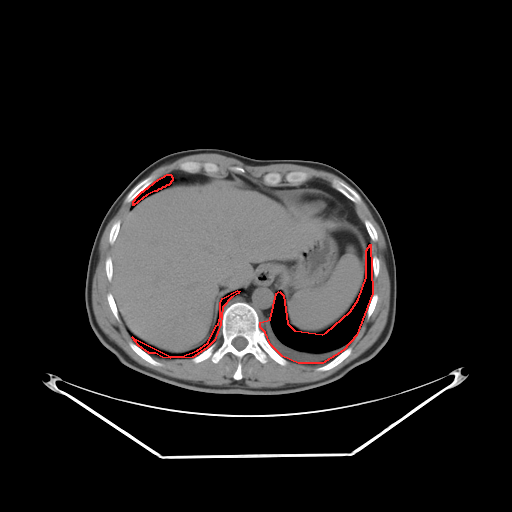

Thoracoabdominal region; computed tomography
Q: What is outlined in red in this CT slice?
A: red: thoracic cavity.
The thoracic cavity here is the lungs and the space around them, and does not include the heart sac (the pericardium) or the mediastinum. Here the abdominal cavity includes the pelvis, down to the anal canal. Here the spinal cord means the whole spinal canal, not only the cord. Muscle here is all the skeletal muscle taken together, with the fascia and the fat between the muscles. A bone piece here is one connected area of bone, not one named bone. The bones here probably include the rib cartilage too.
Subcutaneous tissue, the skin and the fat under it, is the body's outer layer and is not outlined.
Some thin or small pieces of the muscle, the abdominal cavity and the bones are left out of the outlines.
The thoracic cavity appears in 3 outlined pieces: piece 1: (370, 244) (372, 293) (356, 335) (343, 350) (322, 363) (298, 363) (282, 356) (270, 344) (265, 332) (260, 327) (260, 322) (270, 319) (276, 293) (279, 291) (283, 295) (287, 323) (294, 330) (322, 334) (326, 332) (350, 311) (358, 299) (366, 277) (366, 250); piece 2: (237, 290) (239, 291) (238, 293) (231, 297) (222, 307) (220, 324) (214, 340) (206, 348) (192, 357) (170, 358) (162, 357) (155, 353) (149, 353) (138, 345) (132, 337) (170, 356) (181, 356) (197, 350) (208, 342) (216, 325) (218, 324) (220, 316) (220, 303) (222, 298); piece 3: (167, 174) (170, 174) (172, 177) (172, 180) (168, 185) (166, 185) (164, 187) (162, 187) (160, 189) (158, 189) (156, 191) (154, 191) (146, 195) (133, 205) (133, 201) (135, 199) (135, 198) (142, 191) (143, 191) (146, 188) (147, 188) (155, 181). The mediastinum appears in 3 outlined pieces: piece 1: (253, 287) (277, 289) (278, 290) (275, 293) (272, 311) (268, 320) (266, 319) (264, 321) (260, 321) (258, 312) (253, 306) (245, 301) (234, 301) (230, 303) (223, 309) (223, 307) (225, 304) (231, 298) (234, 297) (239, 293) (240, 291) (239, 290) (241, 289) (252, 288); piece 2: (308, 181) (323, 182) (342, 194) (353, 203) (353, 207) (359, 219) (364, 225) (369, 237) (369, 244) (367, 243) (366, 238) (361, 230) (354, 223) (347, 219) (347, 208) (328, 192) (322, 189) (312, 187) (299, 187) (294, 189) (282, 189) (279, 187) (275, 187) (297, 186); piece 3: (176, 172) (184, 172) (185, 173) (188, 173) (189, 174) (202, 174) (203, 175) (207, 175) (208, 176) (204, 180) (200, 180) (199, 181) (181, 181) (180, 182) (178, 182) (177, 183) (175, 183) (174, 184) (169, 185) (173, 180) (173, 177) (171, 174) (173, 173) (175, 173). The bones appear in 13 outlined pieces: piece 1: (234, 302) (245, 302) (254, 308) (260, 329) (269, 344) (287, 360) (285, 365) (269, 356) (262, 363) (253, 354) (247, 353) (240, 360) (242, 378) (235, 380) (233, 374) (238, 359) (230, 352) (216, 363) (210, 357) (196, 363) (192, 361) (215, 340) (221, 340) (222, 311), around a hole outlined by (238, 336) (241, 336) (242, 337) (243, 337) (245, 339) (246, 339) (246, 340) (247, 341) (247, 344) (245, 346) (245, 347) (244, 347) (242, 349) (241, 349) (240, 350) (239, 350) (238, 349) (237, 349) (232, 344) (232, 341) (233, 340) (233, 339) (234, 338) (235, 338); piece 2: (291, 171) (304, 171) (309, 173) (310, 175) (309, 179) (303, 183) (301, 183) (297, 185) (289, 185) (287, 182) (283, 180) (279, 185) (277, 186) (271, 186) (270, 185) (266, 185) (263, 181) (263, 176) (267, 173) (269, 173) (270, 172) (276, 172) (284, 176) (287, 173); piece 3: (185, 161) (196, 161) (200, 163) (203, 163) (204, 162) (211, 162) (212, 163) (216, 164) (218, 166) (219, 170) (218, 172) (214, 173) (212, 175) (208, 175) (203, 170) (201, 170) (199, 173) (189, 173) (188, 172) (181, 171) (179, 169) (178, 166) (180, 163) (184, 162); piece 4: (333, 179) (337, 179) (338, 180) (340, 180) (344, 182) (354, 190) (355, 190) (361, 197) (362, 199) (362, 201) (360, 203) (355, 203) (351, 200) (350, 200) (347, 197) (346, 197) (342, 193) (341, 193) (339, 191) (338, 191) (336, 189) (332, 187) (331, 186) (331, 181); piece 5: (150, 175) (156, 175) (157, 176) (157, 179) (152, 183) (151, 183) (143, 190) (142, 190) (130, 203) (129, 202) (126, 202) (125, 201) (125, 197) (126, 195) (130, 191) (130, 190) (131, 190) (132, 188) (133, 188) (134, 186) (135, 186) (140, 181) (141, 181) (143, 179); piece 6: (348, 347) (351, 347) (352, 348) (351, 353) (340, 363) (339, 363) (334, 367) (328, 370) (325, 370) (324, 371) (318, 371) (316, 370) (316, 368) (324, 365) (326, 363) (327, 363) (329, 361) (333, 359) (337, 355) (338, 355) (342, 351) (343, 351) (346, 348); piece 7: (130, 342) (133, 342) (135, 343) (143, 350) (147, 352) (155, 360) (162, 363) (163, 365) (162, 366) (157, 366) (156, 365) (153, 365) (149, 362) (143, 359) (139, 355) (138, 355) (130, 347) (129, 345) (129, 343); piece 8: (116, 220) (120, 220) (120, 225) (119, 226) (119, 231) (117, 234) (117, 236) (115, 239) (115, 241) (113, 243) (113, 244) (111, 244) (109, 242) (109, 233) (110, 232) (110, 230) (111, 229) (111, 227) (112, 226) (112, 225) (114, 223) (114, 222); piece 9: (366, 219) (369, 220) (371, 222) (371, 223) (373, 225) (373, 226) (376, 230) (376, 232) (377, 233) (377, 240) (376, 241) (373, 241) (372, 240) (371, 240) (371, 239) (367, 232) (367, 230) (366, 229) (366, 228) (365, 227) (365, 225) (364, 224) (364, 221); piece 10: (110, 292) (113, 296) (113, 298) (114, 299) (114, 301) (115, 302) (115, 304) (117, 308) (117, 311) (118, 312) (118, 314) (120, 318) (120, 321) (118, 321) (116, 319) (108, 303) (108, 301) (107, 300) (107, 294); piece 11: (372, 294) (376, 294) (377, 295) (377, 301) (376, 302) (376, 304) (375, 305) (375, 307) (374, 308) (374, 310) (373, 312) (368, 318) (366, 318) (365, 316) (366, 315) (366, 312) (367, 311) (367, 309) (368, 308) (369, 303) (372, 297); piece 12: (109, 256) (110, 256) (111, 257) (111, 262) (112, 263) (112, 277) (111, 278) (111, 281) (109, 281) (108, 280) (108, 278) (107, 277) (107, 275) (106, 274) (106, 271) (105, 270) (105, 261) (106, 260) (106, 258) (107, 257) (108, 257); piece 13: (373, 256) (376, 256) (378, 258) (378, 259) (379, 260) (379, 272) (378, 273) (378, 275) (375, 278) (374, 277) (373, 277) (373, 261) (372, 260) (372, 257). The abdominal cavity is outlined by (228, 172) (285, 190) (323, 219) (344, 217) (354, 224) (367, 244) (363, 286) (349, 311) (322, 333) (294, 329) (277, 288) (231, 291) (221, 298) (217, 324) (207, 342) (170, 355) (132, 336) (124, 325) (112, 293) (112, 248) (132, 206) (146, 196) (166, 186). The pericardium is outlined by (299, 188) (312, 188) (313, 189) (316, 189) (317, 190) (322, 190) (324, 192) (328, 193) (331, 196) (335, 198) (336, 200) (337, 200) (346, 208) (346, 217) (343, 216) (339, 218) (323, 218) (319, 216) (309, 208) (303, 206) (286, 190) (294, 190) (295, 189) (298, 189). The torso is outlined by (195, 148) (225, 149) (256, 159) (318, 161) (340, 170) (362, 189) (386, 226) (396, 266) (394, 326) (388, 341) (374, 357) (337, 380) (307, 390) (275, 395) (221, 394) (186, 389) (138, 372) (99, 341) (88, 321) (84, 290) (100, 223) (114, 200) (144, 168) (165, 155). The spinal cord is outlined by (238, 336) (241, 336) (242, 337) (243, 337) (245, 339) (246, 339) (246, 340) (247, 341) (247, 344) (245, 346) (245, 347) (244, 347) (242, 349) (241, 349) (240, 350) (239, 350) (238, 349) (237, 349) (232, 344) (232, 341) (233, 340) (233, 339) (234, 338) (235, 338). The muscle appears in 3 outlined pieces: piece 1: (363, 200) (382, 232) (388, 260) (389, 310) (379, 337) (360, 355) (324, 378) (278, 387) (249, 387) (241, 380) (241, 360) (247, 354) (262, 364) (268, 357) (281, 366) (288, 360) (304, 365) (325, 363) (315, 368) (324, 372) (352, 353) (353, 348) (346, 346) (359, 332) (365, 317) (372, 315) (378, 301) (372, 290) (373, 278) (380, 272) (380, 260) (372, 255) (370, 243) (370, 239) (378, 240) (378, 233) (369, 219) (362, 222) (354, 207) (354, 203); piece 2: (124, 198) (126, 203) (130, 204) (132, 202) (132, 205) (121, 223) (120, 219) (116, 219) (110, 227) (108, 233) (108, 242) (112, 245) (111, 256) (109, 255) (105, 258) (104, 270) (107, 280) (111, 283) (111, 292) (110, 291) (106, 294) (106, 300) (115, 319) (118, 322) (121, 320) (133, 340) (128, 343) (129, 347) (143, 360) (157, 367) (162, 367) (164, 364) (150, 354) (155, 354) (162, 358) (170, 359) (191, 358) (191, 361) (196, 364) (210, 358) (210, 360) (216, 364) (225, 354) (230, 353) (236, 357) (237, 363) (232, 374) (232, 378) (234, 380) (229, 384) (209, 385) (195, 383) (192, 381) (172, 377) (144, 366) (129, 356) (111, 340) (99, 326) (92, 307) (92, 281) (95, 268) (95, 259) (103, 232); piece 3: (202, 153) (220, 154) (251, 166) (272, 164) (307, 166) (332, 173) (344, 181) (333, 178) (330, 181) (330, 185) (323, 181) (309, 180) (311, 175) (307, 171) (291, 170) (284, 175) (276, 171) (267, 172) (262, 176) (262, 183) (246, 174) (245, 169) (241, 166) (233, 165) (229, 168) (230, 171) (225, 174) (213, 175) (220, 170) (216, 163) (196, 160) (182, 161) (177, 166) (180, 171) (167, 173) (158, 178) (156, 174) (150, 174) (161, 165) (184, 156).